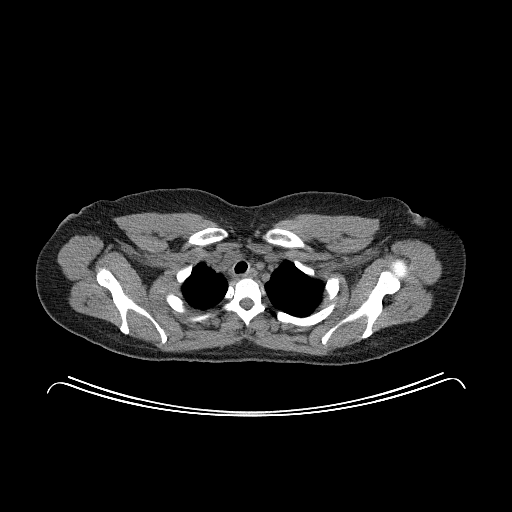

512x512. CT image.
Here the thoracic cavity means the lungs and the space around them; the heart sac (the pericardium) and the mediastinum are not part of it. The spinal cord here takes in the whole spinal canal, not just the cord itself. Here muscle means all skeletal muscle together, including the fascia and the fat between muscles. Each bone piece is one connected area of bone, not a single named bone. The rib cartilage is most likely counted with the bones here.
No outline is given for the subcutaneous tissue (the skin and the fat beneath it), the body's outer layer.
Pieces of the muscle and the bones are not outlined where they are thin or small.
{"mediastinum":[[[242,249],[248,250],[252,253],[258,255],[271,254],[283,258],[277,266],[272,270],[268,279],[263,283],[249,276],[241,277],[236,280],[229,281],[228,283],[226,281],[225,274],[222,272],[214,270],[208,264],[207,261],[208,259],[215,254],[231,253]]],"torso":[[[172,187],[205,190],[244,206],[310,190],[365,199],[398,198],[417,213],[403,249],[407,276],[428,297],[454,309],[447,321],[423,341],[378,359],[346,365],[152,361],[107,350],[60,326],[45,311],[74,279],[83,258],[83,237],[76,212],[100,199]]],"muscle":[{"outer":[[141,212],[197,213],[240,232],[301,213],[378,218],[374,244],[384,236],[419,239],[440,255],[443,271],[427,314],[374,332],[384,297],[409,273],[403,258],[392,259],[366,299],[320,338],[325,346],[341,326],[365,317],[362,340],[327,355],[246,339],[163,351],[128,335],[130,310],[153,325],[161,344],[168,335],[107,267],[95,280],[110,293],[118,328],[71,308],[57,263],[72,236],[114,242],[125,235],[112,218]],"holes":[[[242,249],[298,260],[323,282],[337,276],[336,296],[315,310],[334,302],[331,313],[315,324],[300,326],[279,321],[268,301],[246,327],[234,311],[220,311],[219,303],[207,309],[188,303],[185,312],[174,310],[165,298],[168,293],[182,295],[178,270]],[[272,227],[279,227],[283,229],[289,230],[295,233],[302,239],[302,240],[305,244],[305,246],[304,247],[297,247],[296,246],[293,246],[292,247],[284,247],[283,246],[280,246],[279,245],[271,244],[265,241],[262,238],[262,236],[267,229],[271,228]],[[215,226],[222,227],[227,231],[228,233],[228,236],[226,238],[220,241],[217,241],[213,243],[209,243],[205,245],[199,245],[198,244],[190,244],[188,243],[188,238],[189,236],[193,233],[199,230],[201,230],[202,229],[204,229],[208,227],[214,227]],[[215,311],[217,311],[215,315],[214,315],[212,317],[207,318],[202,321],[200,321],[199,322],[193,322],[189,320],[189,317],[191,316],[194,316],[195,315],[199,315],[200,314],[202,314],[206,312],[214,312]]]}],"left_arm":[[[417,214],[431,217],[451,227],[457,232],[463,242],[465,248],[465,254],[466,255],[465,276],[464,277],[463,285],[459,297],[454,308],[449,306],[445,303],[435,300],[428,296],[414,283],[407,274],[404,265],[404,249],[408,236],[409,228],[414,217]]],"right_arm":[[[71,213],[75,213],[76,214],[79,228],[81,232],[81,236],[82,237],[82,258],[78,265],[77,270],[73,279],[61,291],[56,299],[44,310],[38,298],[36,291],[36,286],[35,285],[36,260],[40,250],[46,241],[54,232],[59,223],[66,216]]],"thoracic_cavity":[[[283,259],[287,259],[291,261],[304,274],[312,278],[319,279],[324,282],[321,302],[317,306],[315,311],[308,315],[297,316],[290,314],[280,309],[276,309],[272,306],[268,300],[267,293],[264,287],[264,283],[269,279],[269,277],[273,270],[278,266]],[[201,261],[206,261],[207,264],[209,265],[209,266],[214,271],[224,274],[225,276],[225,281],[228,284],[221,301],[217,305],[210,307],[207,309],[200,309],[194,307],[187,303],[183,298],[182,292],[181,291],[181,286],[190,276],[193,267]]],"spinal_cord":[[[244,298],[249,298],[253,302],[253,304],[251,306],[251,307],[250,307],[248,309],[245,309],[243,307],[242,307],[240,305],[240,301],[242,299],[243,299]]],"bones":[[[396,258],[403,259],[408,266],[407,277],[400,280],[400,286],[396,292],[383,297],[382,309],[372,326],[372,334],[364,339],[360,338],[366,326],[366,317],[362,316],[341,325],[324,345],[321,341],[322,336],[367,299],[380,273],[389,269],[392,260]],{"outer":[[247,277],[252,278],[263,284],[263,287],[268,301],[267,302],[268,305],[267,308],[264,311],[260,312],[254,316],[250,320],[248,327],[245,326],[244,322],[234,311],[220,311],[220,303],[222,301],[228,288],[229,282],[232,281],[233,282],[241,278]],"hole":[[244,298],[249,298],[253,302],[253,304],[251,306],[251,307],[250,307],[248,309],[245,309],[243,307],[242,307],[240,305],[240,301],[242,299],[243,299]]},[[101,267],[107,268],[118,280],[124,293],[144,308],[165,331],[167,339],[164,343],[161,343],[160,335],[154,325],[146,317],[130,309],[126,313],[129,333],[124,334],[120,331],[119,327],[121,324],[121,316],[113,302],[111,293],[96,280],[96,273]],[[331,302],[334,302],[335,303],[335,306],[331,313],[326,318],[323,319],[321,321],[308,326],[300,326],[299,325],[295,325],[292,323],[281,322],[275,317],[274,314],[274,312],[276,310],[280,310],[293,316],[296,316],[297,317],[305,317],[327,306]],[[272,227],[279,227],[283,229],[289,230],[295,233],[302,239],[302,240],[305,244],[305,246],[304,247],[297,247],[296,246],[293,246],[292,247],[284,247],[283,246],[280,246],[279,245],[271,244],[265,241],[262,238],[262,236],[267,229],[271,228]],[[215,226],[222,227],[227,231],[228,233],[228,236],[226,238],[220,241],[217,241],[213,243],[209,243],[205,245],[199,245],[198,244],[190,244],[188,243],[188,238],[189,236],[193,233],[199,230],[201,230],[202,229],[204,229],[208,227],[214,227]],[[331,276],[337,276],[339,278],[339,289],[338,290],[338,292],[337,293],[336,296],[332,300],[329,300],[324,303],[322,303],[322,300],[323,299],[323,293],[324,292],[324,287],[325,286],[325,282],[327,280],[327,279],[329,277],[330,277]],[[168,293],[171,293],[176,296],[179,296],[180,297],[182,296],[182,298],[186,302],[187,304],[186,305],[186,311],[185,312],[183,313],[178,312],[174,310],[167,303],[166,301],[166,299],[165,298],[166,297],[166,295]],[[189,264],[191,264],[192,265],[192,268],[191,269],[191,272],[190,273],[189,276],[182,283],[182,284],[180,286],[179,285],[179,284],[177,281],[177,279],[176,278],[176,273],[178,270],[179,270],[181,268],[182,268],[183,267],[184,267]],[[294,260],[298,260],[303,264],[305,264],[308,266],[310,266],[314,270],[314,273],[315,274],[315,276],[314,277],[312,277],[311,276],[310,276],[309,275],[308,275],[307,274],[304,273],[301,270],[300,270],[295,265],[295,264],[293,262],[293,261]],[[215,311],[217,311],[215,315],[214,315],[212,317],[207,318],[202,321],[200,321],[199,322],[193,322],[189,320],[189,317],[191,316],[194,316],[195,315],[199,315],[200,314],[202,314],[206,312],[214,312]]]}